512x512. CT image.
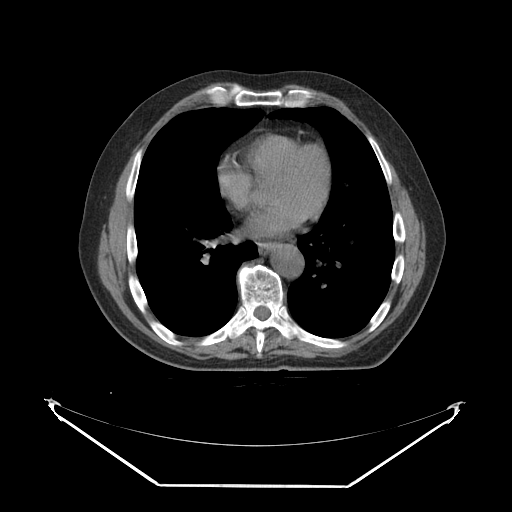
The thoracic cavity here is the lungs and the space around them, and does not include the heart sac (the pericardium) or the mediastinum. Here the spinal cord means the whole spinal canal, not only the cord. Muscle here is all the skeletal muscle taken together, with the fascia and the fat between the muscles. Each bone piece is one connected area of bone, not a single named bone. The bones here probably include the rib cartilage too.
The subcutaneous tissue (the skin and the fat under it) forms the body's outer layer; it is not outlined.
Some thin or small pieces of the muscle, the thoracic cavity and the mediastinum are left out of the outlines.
thoracic cavity 1: (201, 106) (254, 108) (262, 112) (253, 125) (227, 144) (216, 166) (219, 193) (233, 223) (231, 232) (239, 242) (253, 242) (257, 255) (243, 261) (236, 272) (239, 303) (231, 317) (206, 335) (186, 336) (177, 335) (158, 320) (138, 278) (134, 196) (150, 142) (173, 117)
thoracic cavity 2: (307, 106) (337, 110) (364, 135) (383, 174) (393, 213) (395, 256) (385, 297) (366, 325) (340, 338) (324, 337) (304, 329) (291, 316) (285, 302) (287, 289) (306, 265) (298, 247) (298, 236) (316, 225) (326, 207) (332, 165) (324, 140) (313, 125) (268, 115) (282, 108)
bones 1: (242, 264) (261, 264) (278, 274) (288, 313) (300, 327) (314, 335) (339, 339) (347, 344) (339, 348) (322, 347) (296, 337) (288, 339) (276, 328) (269, 327) (264, 330) (259, 358) (256, 329) (249, 327) (235, 338) (197, 345) (235, 313) (240, 303) (237, 272) with a hole at (259, 306) (264, 306) (265, 307) (266, 307) (269, 310) (269, 311) (270, 312) (270, 314) (269, 315) (269, 316) (267, 318) (266, 318) (263, 320) (261, 320) (260, 319) (259, 319) (256, 316) (255, 316) (255, 315) (254, 314) (254, 311) (255, 310) (255, 309)
bones 2: (233, 83) (239, 84) (243, 89) (255, 92) (263, 92) (268, 90) (273, 91) (277, 89) (286, 92) (289, 89) (307, 89) (315, 92) (316, 97) (304, 107) (282, 107) (278, 105) (237, 106) (232, 103) (225, 106) (214, 105) (210, 102) (203, 91) (213, 86) (229, 88)
bones 3: (140, 148) (142, 148) (143, 149) (143, 155) (139, 166) (139, 171) (137, 176) (137, 180) (136, 181) (136, 185) (135, 186) (133, 200) (132, 201) (129, 201) (126, 197) (126, 184) (127, 183) (127, 180) (132, 167) (132, 164) (134, 160) (135, 154)
bones 4: (130, 274) (135, 275) (137, 277) (139, 281) (139, 283) (144, 292) (145, 297) (147, 300) (148, 306) (146, 308) (146, 312) (144, 314) (142, 313) (138, 308) (137, 305) (135, 303) (132, 297) (132, 295) (131, 294) (131, 292) (129, 288) (129, 285) (128, 284) (128, 276)
bones 5: (149, 320) (157, 320) (159, 322) (160, 322) (165, 327) (166, 327) (169, 330) (170, 330) (173, 333) (174, 333) (176, 335) (176, 337) (178, 339) (181, 340) (183, 342) (183, 344) (180, 346) (178, 345) (173, 345) (163, 340) (151, 328) (148, 322)
bones 6: (365, 134) (369, 134) (371, 135) (372, 137) (376, 141) (385, 159) (388, 163) (388, 165) (390, 169) (390, 172) (391, 173) (391, 183) (389, 185) (387, 184) (386, 182) (386, 180) (385, 179) (384, 174) (382, 171) (382, 169) (378, 161) (378, 159) (369, 141) (365, 136)
bones 7: (130, 223) (133, 224) (133, 226) (134, 227) (134, 230) (135, 231) (135, 237) (136, 238) (136, 245) (137, 246) (137, 256) (136, 257) (136, 259) (135, 260) (135, 262) (132, 264) (131, 264) (128, 261) (128, 257) (127, 256) (127, 227) (128, 226) (128, 225)
bones 8: (387, 298) (390, 299) (391, 301) (389, 310) (387, 312) (386, 315) (384, 317) (382, 321) (372, 331) (370, 332) (368, 332) (367, 331) (368, 329) (368, 327) (369, 326) (368, 323) (370, 319) (375, 313) (375, 312) (378, 309) (378, 308) (380, 306) (382, 302) (385, 299)
bones 9: (395, 211) (398, 211) (400, 213) (400, 214) (402, 217) (402, 219) (403, 220) (403, 224) (404, 225) (404, 229) (405, 230) (405, 238) (404, 239) (404, 240) (403, 241) (403, 242) (396, 242) (394, 240) (394, 236) (393, 235) (393, 216) (394, 215) (394, 212)
bones 10: (400, 253) (401, 253) (403, 255) (403, 259) (404, 260) (404, 265) (403, 266) (403, 273) (402, 274) (401, 279) (399, 283) (397, 284) (391, 279) (391, 273) (392, 272) (392, 268) (393, 267) (393, 264) (394, 263) (394, 260) (395, 259) (395, 257) (398, 254)
torso: (214, 69) (250, 73) (304, 69) (343, 77) (382, 104) (410, 138) (439, 201) (446, 243) (421, 314) (396, 349) (379, 365) (343, 370) (183, 369) (158, 361) (127, 342) (110, 325) (92, 297) (79, 263) (77, 245) (87, 189) (103, 148) (125, 118) (147, 97) (180, 79)
pericardium: (261, 127) (294, 127) (313, 131) (322, 138) (329, 156) (331, 165) (331, 185) (325, 207) (318, 221) (311, 229) (290, 239) (253, 240) (240, 236) (235, 230) (236, 223) (227, 209) (220, 193) (217, 166) (220, 158) (222, 157) (222, 154) (246, 134) (256, 128)
muscle 1: (215, 82) (235, 82) (229, 87) (213, 85) (205, 88) (202, 92) (211, 104) (201, 105) (176, 114) (155, 134) (144, 152) (144, 149) (140, 147) (134, 154) (125, 184) (125, 197) (129, 202) (133, 201) (133, 223) (130, 222) (126, 227) (126, 256) (127, 261) (131, 265) (135, 263) (136, 275) (130, 273) (127, 276) (127, 284) (131, 297) (140, 312) (144, 315) (147, 312) (147, 308) (150, 308) (157, 319) (149, 319) (147, 321) (148, 325) (166, 343) (180, 347) (184, 342) (177, 336) (202, 337) (196, 345) (208, 346) (228, 338) (235, 339) (247, 329) (254, 328) (256, 357) (258, 358) (198, 359) (163, 346) (136, 328) (127, 319) (101, 282) (97, 272) (97, 254) (102, 227) (116, 183) (134, 147) (158, 119) (176, 102)
muscle 2: (286, 84) (309, 87) (337, 97) (365, 121) (384, 146) (405, 182) (419, 211) (426, 232) (424, 272) (403, 311) (369, 342) (353, 352) (337, 357) (273, 356) (260, 358) (266, 336) (265, 330) (274, 328) (288, 340) (296, 338) (302, 342) (329, 349) (345, 347) (348, 343) (340, 339) (355, 334) (367, 325) (366, 331) (368, 333) (372, 332) (390, 310) (392, 301) (388, 297) (385, 298) (391, 282) (397, 285) (402, 279) (405, 260) (401, 252) (396, 255) (395, 242) (404, 242) (406, 230) (401, 213) (398, 210) (393, 212) (388, 190) (388, 185) (392, 183) (391, 169) (373, 136) (369, 133) (364, 134) (343, 114) (331, 106) (309, 105) (317, 97) (317, 93) (313, 90) (307, 88) (289, 88) (286, 91) (279, 88) (270, 90)
spinal cord: (259, 306) (264, 306) (265, 307) (266, 307) (269, 310) (269, 311) (270, 312) (270, 314) (269, 315) (269, 316) (267, 318) (266, 318) (263, 320) (261, 320) (260, 319) (259, 319) (256, 316) (255, 316) (255, 315) (254, 314) (254, 311) (255, 310) (255, 309)
mediastinum 1: (295, 237) (297, 237) (297, 247) (304, 258) (305, 265) (302, 273) (288, 286) (285, 291) (281, 277) (277, 272) (271, 268) (261, 263) (255, 263) (251, 265) (246, 263) (242, 263) (245, 261) (254, 259) (258, 255) (256, 244) (253, 241) (249, 240) (253, 241) (290, 240)
mediastinum 2: (229, 105) (237, 107) (278, 106) (281, 108) (270, 112) (267, 115) (268, 118) (289, 119) (304, 122) (313, 126) (320, 135) (313, 130) (294, 126) (261, 126) (256, 127) (246, 133) (222, 153) (228, 144) (247, 131) (263, 115) (263, 112) (258, 108) (238, 108) (226, 106)
mediastinum 3: (234, 223) (235, 223) (235, 228) (234, 229) (235, 232) (237, 233) (237, 234) (239, 235) (240, 237) (244, 239) (248, 239) (246, 240) (244, 240) (243, 241) (239, 241) (238, 238) (235, 235) (235, 234) (232, 232) (232, 229) (233, 228)